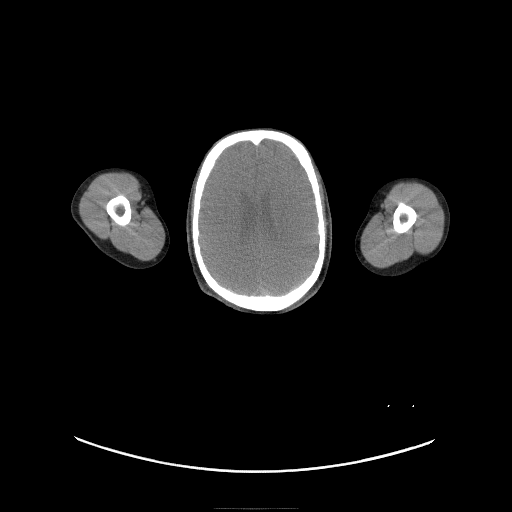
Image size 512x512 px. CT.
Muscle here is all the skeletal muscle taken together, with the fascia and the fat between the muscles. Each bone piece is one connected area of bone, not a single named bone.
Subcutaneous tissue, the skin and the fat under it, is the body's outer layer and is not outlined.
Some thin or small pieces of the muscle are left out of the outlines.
{"left_arm":[[[400,176],[421,177],[434,184],[442,192],[447,201],[450,212],[449,231],[446,241],[442,249],[433,258],[424,263],[422,263],[404,274],[397,276],[381,276],[372,273],[360,263],[354,250],[354,238],[356,232],[368,210],[370,201],[375,192],[384,183]]],"right_arm":[[[114,166],[125,167],[135,170],[146,178],[152,188],[157,208],[167,225],[170,235],[169,248],[164,258],[154,266],[144,269],[135,269],[122,265],[115,260],[108,257],[102,253],[92,243],[71,216],[70,203],[76,189],[82,181],[91,173],[99,169]]],"bones":[{"outer":[[251,129],[271,129],[285,132],[295,137],[305,146],[314,166],[324,219],[325,254],[318,278],[300,299],[290,306],[276,311],[256,311],[246,309],[227,301],[217,294],[209,287],[203,278],[194,255],[192,244],[194,190],[204,157],[220,138],[234,132]],"hole":[[263,140],[271,140],[283,144],[297,159],[309,183],[316,215],[316,232],[318,236],[317,255],[312,268],[300,283],[281,294],[239,293],[222,285],[209,270],[204,260],[199,241],[201,201],[206,182],[218,158],[227,148],[235,144],[250,142],[258,146]]},[[118,194],[123,194],[128,199],[129,201],[129,203],[130,204],[130,207],[131,208],[131,218],[130,219],[130,221],[129,223],[128,223],[124,226],[121,226],[117,224],[110,217],[110,216],[108,214],[105,208],[105,206],[107,202],[112,197],[114,197]],[[400,201],[401,201],[402,202],[411,206],[415,210],[415,211],[417,214],[417,217],[416,218],[414,223],[406,232],[404,232],[403,233],[397,233],[394,231],[394,229],[393,228],[393,213],[397,206],[397,204],[398,203],[398,202],[399,202]]],"head":[[[264,127],[278,128],[288,132],[299,139],[309,150],[325,183],[332,216],[331,258],[326,277],[321,287],[301,307],[287,314],[275,316],[257,316],[238,313],[202,292],[192,271],[187,251],[185,231],[186,207],[190,186],[204,154],[214,142],[232,130]]],"brain":[[[263,140],[271,140],[283,144],[297,159],[309,183],[316,215],[316,232],[318,236],[317,255],[312,268],[300,283],[281,294],[239,293],[222,285],[209,270],[204,260],[199,241],[201,201],[206,182],[218,158],[227,148],[235,144],[250,142],[258,146]]],"muscle":[{"outer":[[400,181],[416,181],[427,186],[433,191],[444,212],[443,234],[440,242],[431,252],[427,254],[414,254],[408,259],[398,262],[389,267],[377,268],[366,261],[361,252],[360,249],[361,235],[364,228],[377,210],[380,203],[382,202],[391,187],[394,184]],"hole":[[400,201],[401,201],[402,202],[411,206],[415,210],[415,211],[417,214],[417,217],[416,218],[414,223],[406,232],[404,232],[403,233],[397,233],[394,231],[394,229],[393,228],[393,213],[397,206],[397,204],[398,203],[398,202],[399,202]]},{"outer":[[107,172],[130,173],[139,181],[140,185],[145,192],[148,204],[160,221],[165,234],[165,240],[163,247],[154,259],[148,261],[141,261],[129,254],[117,250],[109,241],[103,240],[96,236],[82,221],[78,212],[78,204],[81,196],[95,177],[102,173]],"hole":[[118,194],[123,194],[128,199],[129,201],[129,203],[130,204],[130,207],[131,208],[131,218],[130,219],[130,221],[129,223],[128,223],[124,226],[121,226],[117,224],[110,217],[110,216],[108,214],[105,208],[105,206],[107,202],[112,197],[114,197]]},[[315,168],[319,176],[320,182],[323,189],[323,193],[324,194],[324,204],[325,205],[325,212],[326,213],[326,219],[327,220],[327,240],[326,241],[326,247],[325,219],[323,213],[322,200],[320,195],[320,187],[319,186],[317,175],[315,171]],[[311,288],[311,289],[310,290],[310,291],[308,293],[308,294],[303,299],[302,299],[299,302],[298,302],[296,304],[295,304],[294,305],[293,305],[292,306],[291,306],[292,305],[293,305],[296,302],[297,302],[299,300],[300,300],[310,290],[310,289]]]}